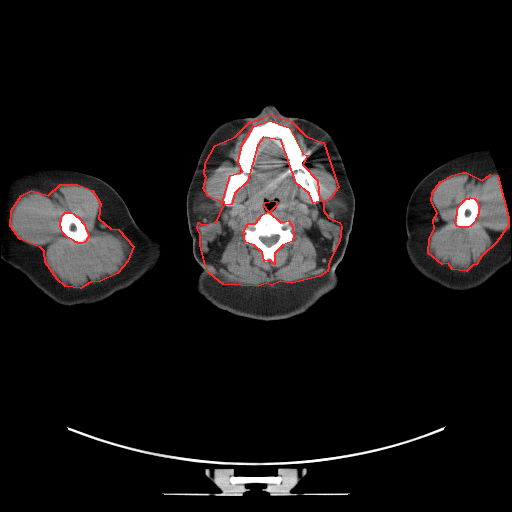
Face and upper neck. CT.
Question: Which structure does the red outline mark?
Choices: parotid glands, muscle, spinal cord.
Answer: red: muscle.
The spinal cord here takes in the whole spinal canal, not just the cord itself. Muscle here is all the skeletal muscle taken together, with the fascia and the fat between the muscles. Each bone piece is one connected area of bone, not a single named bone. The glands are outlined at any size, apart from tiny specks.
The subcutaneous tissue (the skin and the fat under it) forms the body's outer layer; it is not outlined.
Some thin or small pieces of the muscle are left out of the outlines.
{"muscle":[{"outer":[[270,114],[291,121],[306,136],[323,142],[338,187],[329,199],[323,201],[323,210],[328,217],[339,222],[341,226],[339,241],[329,260],[327,271],[319,276],[291,283],[280,281],[271,285],[266,283],[258,286],[223,284],[209,273],[205,265],[200,245],[200,234],[197,228],[198,222],[201,224],[216,222],[223,206],[221,202],[208,196],[203,188],[206,177],[204,174],[205,163],[215,145],[235,136],[249,122]],"holes":[[[269,120],[289,127],[302,153],[307,155],[302,164],[317,180],[319,201],[313,203],[309,193],[296,183],[281,140],[263,137],[257,145],[247,181],[234,193],[231,204],[225,205],[223,199],[230,175],[242,171],[238,161],[242,144],[253,126]],[[273,200],[276,201],[276,205],[269,212],[280,222],[288,220],[292,226],[293,234],[292,241],[282,245],[274,253],[274,264],[270,260],[264,261],[262,252],[254,245],[245,242],[243,231],[248,223],[255,223],[262,214],[268,211],[264,206],[265,202]]]},{"outer":[[60,184],[77,184],[92,190],[100,203],[98,218],[110,228],[118,229],[133,246],[127,261],[117,273],[100,281],[90,282],[80,288],[65,286],[57,279],[45,262],[44,251],[40,247],[20,239],[10,226],[11,210],[21,195],[31,190],[48,195]],"hole":[[65,212],[71,212],[73,213],[76,216],[77,216],[84,224],[85,228],[88,233],[88,237],[84,242],[82,243],[78,243],[77,242],[75,242],[73,240],[67,237],[63,233],[61,229],[61,227],[60,226],[60,221],[61,220],[61,217],[62,215]]},{"outer":[[462,172],[466,172],[482,180],[490,174],[497,175],[508,217],[508,225],[496,242],[481,256],[476,264],[472,265],[466,271],[452,269],[448,263],[442,264],[428,253],[429,238],[434,229],[433,219],[437,213],[431,200],[432,192],[440,181],[451,175]],"hole":[[470,197],[474,198],[476,200],[478,204],[478,214],[477,215],[477,217],[475,219],[473,223],[470,226],[468,227],[459,227],[457,226],[455,223],[456,221],[456,215],[457,214],[457,209],[459,205],[463,201],[463,200],[464,200],[466,198],[469,198]]}],"head_and_neck":[{"outer":[[268,97],[284,115],[312,121],[332,137],[354,193],[355,209],[347,246],[335,269],[339,276],[339,285],[307,311],[289,318],[267,321],[232,314],[214,306],[194,291],[193,286],[201,268],[192,251],[186,195],[210,134],[228,120],[253,117],[267,103]],"hole":[[273,200],[275,200],[276,201],[276,205],[275,206],[275,207],[274,207],[272,209],[271,209],[269,211],[268,211],[265,208],[265,207],[264,206],[264,204],[265,203],[265,202],[266,201],[272,201]]}],"right_arm":[[[49,167],[76,170],[93,175],[105,181],[121,196],[138,225],[147,232],[155,234],[160,238],[163,245],[162,257],[157,267],[148,276],[102,301],[88,305],[64,306],[54,302],[36,288],[23,274],[2,259],[4,212],[13,178],[16,175],[29,170]]],"parotid_glands":[[[201,189],[205,190],[206,194],[208,197],[211,199],[213,199],[215,202],[219,202],[221,203],[222,205],[221,208],[219,209],[220,211],[219,217],[218,219],[214,222],[201,223],[198,221],[197,217],[195,214],[195,212],[194,211],[194,200],[199,190]],[[337,189],[338,189],[340,191],[347,205],[347,209],[343,214],[343,218],[342,220],[340,221],[334,218],[332,218],[328,216],[326,214],[324,210],[324,204],[325,203],[324,201],[327,201],[329,200],[334,195]]],"spinal_cord":[[[273,235],[277,235],[278,236],[278,239],[276,241],[276,242],[275,243],[274,243],[272,245],[271,245],[270,246],[267,246],[261,240],[261,237],[270,237],[271,236],[272,236]]],"left_arm":[[[480,148],[485,148],[489,152],[497,172],[501,191],[504,198],[510,236],[509,251],[510,260],[507,266],[501,269],[482,285],[466,291],[456,291],[441,286],[427,279],[416,271],[409,262],[405,250],[406,205],[415,186],[428,173],[451,158],[465,152]]],"bones":[[[269,120],[289,127],[302,153],[307,155],[302,164],[317,180],[319,201],[313,203],[309,193],[296,183],[281,140],[263,137],[257,145],[247,181],[234,193],[231,204],[225,205],[223,199],[230,175],[242,171],[238,161],[242,144],[253,126]],{"outer":[[266,212],[272,214],[280,222],[288,220],[292,226],[291,232],[293,234],[293,239],[291,242],[282,245],[274,253],[274,264],[272,264],[270,260],[264,261],[262,252],[254,245],[248,244],[244,240],[245,233],[243,229],[248,223],[255,223],[260,216]],"hole":[[273,235],[277,235],[278,236],[278,239],[276,241],[276,242],[275,243],[274,243],[272,245],[271,245],[270,246],[267,246],[261,240],[261,237],[270,237],[271,236],[272,236]]},[[65,212],[71,212],[73,213],[76,216],[77,216],[84,224],[85,228],[88,233],[88,237],[84,242],[82,243],[78,243],[77,242],[75,242],[73,240],[67,237],[63,233],[61,229],[61,227],[60,226],[60,221],[61,220],[61,217],[62,215]],[[470,197],[474,198],[476,200],[478,204],[478,214],[477,215],[477,217],[475,219],[473,223],[470,226],[468,227],[459,227],[457,226],[455,223],[456,221],[456,215],[457,214],[457,209],[459,205],[463,201],[463,200],[464,200],[466,198],[469,198]]]}